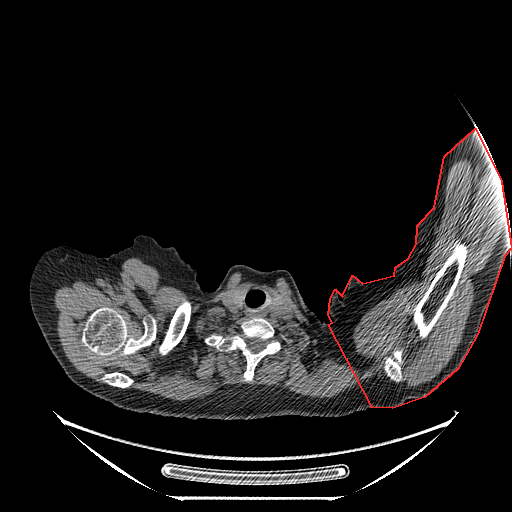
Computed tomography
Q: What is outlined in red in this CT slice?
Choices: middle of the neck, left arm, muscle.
A: red: left arm.
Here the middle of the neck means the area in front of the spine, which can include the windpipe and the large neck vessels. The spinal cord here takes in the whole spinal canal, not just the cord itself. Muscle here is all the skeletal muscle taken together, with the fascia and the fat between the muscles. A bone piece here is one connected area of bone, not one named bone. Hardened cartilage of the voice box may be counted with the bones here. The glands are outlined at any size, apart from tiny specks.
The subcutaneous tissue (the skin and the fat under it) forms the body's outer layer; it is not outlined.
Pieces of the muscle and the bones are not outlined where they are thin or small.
The left arm is outlined by (475, 128) (501, 181) (511, 248) (504, 256) (477, 334) (457, 369) (424, 397) (392, 408) (372, 407) (328, 324) (332, 322) (328, 315) (330, 298) (335, 289) (342, 296) (352, 275) (362, 283) (394, 275) (395, 267) (408, 258) (416, 244) (417, 225) (434, 207) (444, 156). The bones appear in 6 outlined pieces: piece 1: (100, 307) (115, 309) (123, 317) (126, 322) (128, 334) (134, 339) (140, 338) (144, 333) (144, 318) (150, 316) (153, 317) (156, 321) (156, 337) (154, 341) (151, 345) (127, 355) (120, 355) (117, 352) (113, 355) (104, 356) (92, 352) (82, 344) (81, 334) (89, 315); piece 2: (460, 241) (465, 242) (468, 250) (460, 279) (453, 292) (451, 299) (448, 301) (447, 305) (440, 314) (437, 321) (433, 326) (432, 330) (425, 339) (421, 340) (416, 336) (414, 332) (414, 327) (412, 325) (414, 307) (429, 287) (437, 271) (451, 253) (451, 250); piece 3: (254, 317) (263, 318) (272, 325) (282, 347) (276, 353) (265, 355) (254, 369) (253, 380) (245, 382) (243, 373) (247, 363) (242, 352) (237, 348) (227, 352) (219, 351) (214, 346) (206, 344) (204, 338) (214, 332) (223, 335) (230, 330) (238, 330) (242, 322) with a hole at (246, 338) (259, 338) (260, 339) (261, 339) (262, 340) (265, 340) (266, 341) (267, 341) (267, 343) (265, 345) (265, 346) (262, 349) (261, 349) (259, 351) (258, 351) (257, 352) (253, 352) (247, 346) (247, 344) (246, 343) (246, 342) (245, 341) (245, 339); piece 4: (184, 297) (188, 299) (192, 304) (191, 314) (190, 315) (189, 321) (187, 324) (186, 329) (179, 342) (170, 351) (169, 351) (168, 353) (167, 353) (165, 355) (161, 355) (158, 351) (158, 348) (165, 335) (165, 333) (168, 328) (169, 323) (177, 307) (181, 302) (182, 298); piece 5: (398, 347) (400, 347) (402, 349) (402, 366) (403, 367) (402, 374) (403, 375) (403, 377) (405, 379) (403, 381) (399, 383) (395, 383) (393, 381) (391, 381) (384, 374) (383, 371) (381, 369) (381, 363) (384, 360) (385, 356) (389, 355) (395, 348) (397, 348); piece 6: (114, 371) (118, 371) (119, 372) (122, 372) (123, 373) (125, 373) (127, 374) (133, 380) (133, 382) (132, 384) (129, 387) (127, 388) (120, 388) (119, 387) (115, 387) (114, 386) (109, 385) (107, 383) (104, 382) (101, 379) (101, 377) (105, 373) (110, 373). The middle of the neck is outlined by (252, 287) (262, 288) (271, 293) (271, 298) (267, 298) (266, 304) (271, 303) (276, 306) (284, 301) (289, 307) (292, 316) (290, 318) (250, 317) (247, 315) (237, 316) (230, 312) (223, 305) (222, 298) (226, 294) (230, 294) (233, 301) (241, 306) (244, 304) (246, 289). The thyroid glands appear in 2 outlined pieces: piece 1: (242, 289) (245, 289) (245, 292) (244, 293) (244, 296) (243, 297) (243, 304) (242, 304) (241, 305) (239, 305) (238, 304) (237, 304) (234, 301) (234, 300) (232, 298) (232, 295) (231, 294) (232, 294) (234, 292) (236, 292) (237, 291) (238, 291) (239, 290) (241, 290); piece 2: (273, 293) (275, 293) (276, 294) (278, 294) (280, 296) (281, 296) (283, 298) (283, 300) (281, 302) (281, 303) (280, 303) (279, 304) (277, 304) (276, 305) (273, 305) (273, 304) (272, 303) (272, 294). The spinal cord is outlined by (246, 338) (259, 338) (260, 339) (261, 339) (262, 340) (265, 340) (266, 341) (267, 341) (267, 343) (265, 345) (265, 346) (262, 349) (261, 349) (259, 351) (258, 351) (257, 352) (253, 352) (247, 346) (247, 344) (246, 343) (246, 342) (245, 341) (245, 339). The torso is outlined by (237, 264) (246, 265) (262, 271) (283, 269) (292, 275) (307, 307) (319, 319) (324, 319) (327, 323) (371, 408) (337, 417) (281, 415) (256, 419) (226, 420) (207, 418) (190, 419) (186, 417) (163, 416) (158, 414) (207, 292) (213, 291) (219, 285) (228, 269). The right arm is outlined by (140, 234) (152, 237) (161, 246) (174, 247) (181, 257) (196, 270) (200, 287) (207, 291) (157, 414) (136, 412) (115, 406) (75, 384) (66, 375) (49, 349) (34, 318) (29, 301) (30, 277) (38, 259) (46, 250) (67, 244) (83, 252) (106, 257) (130, 246) (134, 237). The muscle is outlined by (477, 159) (493, 160) (508, 221) (482, 273) (462, 339) (429, 382) (381, 391) (361, 386) (328, 398) (244, 383) (224, 393) (174, 400) (128, 388) (134, 380) (122, 371) (105, 372) (100, 377) (105, 383) (89, 378) (62, 349) (55, 329) (55, 289) (83, 278) (118, 278) (122, 263) (137, 257) (157, 268) (164, 284) (204, 298) (220, 292) (234, 272) (260, 283) (283, 277) (328, 349) (353, 357) (353, 327) (360, 317) (424, 263) (443, 211) (448, 169), around holes outlined by (252, 287) (281, 296) (292, 316) (263, 318) (275, 329) (282, 347) (265, 355) (254, 369) (253, 380) (245, 382) (243, 373) (247, 363) (242, 352) (237, 348) (219, 351) (206, 344) (204, 338) (214, 332) (223, 335) (238, 330) (242, 322) (251, 318) (230, 312) (222, 298) and by (100, 307) (115, 309) (123, 317) (126, 322) (128, 334) (134, 339) (140, 338) (144, 333) (144, 318) (150, 316) (153, 317) (156, 321) (156, 337) (154, 341) (151, 345) (127, 355) (120, 355) (117, 352) (113, 355) (104, 356) (92, 352) (82, 344) (81, 334) (89, 315) and by (460, 241) (465, 242) (468, 250) (460, 279) (453, 292) (451, 299) (448, 301) (447, 305) (440, 314) (437, 321) (433, 326) (432, 330) (425, 339) (421, 340) (416, 336) (414, 332) (414, 327) (412, 325) (414, 307) (429, 287) (437, 271) (451, 253) (451, 250) and by (184, 297) (188, 299) (192, 304) (191, 314) (190, 315) (189, 321) (187, 324) (186, 329) (179, 342) (170, 351) (169, 351) (168, 353) (167, 353) (165, 355) (161, 355) (158, 351) (158, 348) (165, 335) (165, 333) (168, 328) (169, 323) (177, 307) (181, 302) (182, 298) and by (398, 347) (400, 347) (402, 349) (402, 366) (403, 367) (402, 374) (403, 375) (403, 377) (405, 379) (403, 381) (399, 383) (395, 383) (393, 381) (391, 381) (384, 374) (383, 371) (381, 369) (381, 363) (384, 360) (385, 356) (389, 355) (395, 348) (397, 348).